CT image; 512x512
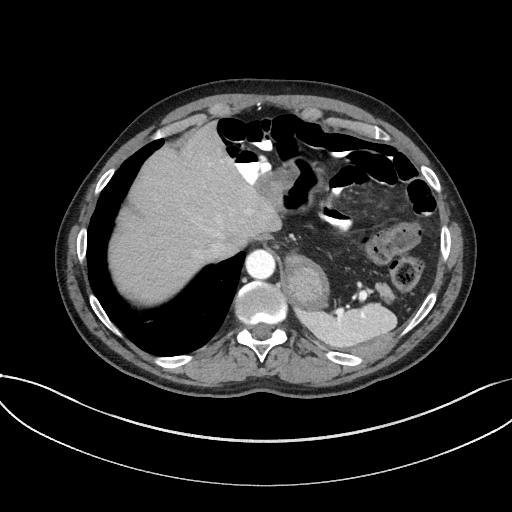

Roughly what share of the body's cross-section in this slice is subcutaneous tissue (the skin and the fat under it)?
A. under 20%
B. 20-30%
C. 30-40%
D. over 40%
Answer: A. under 20%
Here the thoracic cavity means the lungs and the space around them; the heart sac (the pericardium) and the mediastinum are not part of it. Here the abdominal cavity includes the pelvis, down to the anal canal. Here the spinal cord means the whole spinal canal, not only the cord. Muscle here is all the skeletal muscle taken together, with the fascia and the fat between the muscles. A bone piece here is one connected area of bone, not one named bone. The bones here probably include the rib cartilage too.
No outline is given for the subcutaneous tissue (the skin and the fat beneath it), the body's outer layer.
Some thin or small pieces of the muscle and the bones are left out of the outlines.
{"muscle":[{"outer":[[314,388],[320,388],[321,386],[329,386],[351,381],[355,378],[371,373],[390,364],[410,351],[444,318],[458,295],[463,277],[463,262],[462,261],[463,257],[463,239],[461,234],[461,228],[459,223],[459,216],[457,207],[454,201],[449,196],[448,191],[446,189],[445,182],[439,172],[424,153],[405,134],[391,124],[379,118],[374,117],[367,111],[350,103],[347,103],[337,99],[328,97],[316,96],[315,95],[304,95],[303,94],[271,95],[270,94],[254,94],[253,93],[249,94],[245,94],[244,93],[224,93],[223,94],[216,94],[215,95],[206,96],[179,106],[169,112],[158,122],[152,124],[144,130],[139,132],[123,144],[109,158],[97,175],[95,180],[90,185],[84,198],[84,201],[81,205],[77,221],[72,226],[69,232],[67,241],[66,284],[70,298],[75,307],[75,309],[89,330],[112,350],[118,353],[126,360],[133,364],[160,377],[178,383],[196,385],[197,386],[213,387],[214,386],[222,386],[227,383],[244,382],[256,378],[268,378],[278,382],[282,382],[287,384],[304,385]],"holes":[[[163,367],[189,362],[193,358],[189,353],[208,342],[234,314],[243,326],[237,342],[249,346],[260,362],[274,345],[287,340],[280,325],[288,314],[307,338],[327,351],[328,359],[344,365],[359,364],[363,356],[407,333],[436,300],[437,292],[431,287],[439,256],[447,259],[451,243],[447,225],[439,221],[435,192],[441,186],[433,170],[425,165],[418,169],[377,125],[329,117],[328,121],[348,128],[335,128],[260,100],[237,113],[217,103],[208,109],[214,117],[207,119],[205,113],[198,113],[158,128],[149,143],[98,180],[94,190],[98,201],[88,227],[78,232],[77,255],[81,263],[87,260],[93,291],[88,299],[98,318],[119,337],[124,334],[153,354],[153,361]],[[313,117],[320,117],[322,115],[322,113],[321,112],[321,111],[320,111],[319,110],[318,110],[317,109],[315,109],[314,108],[309,108],[308,109],[305,109],[303,111],[303,112],[304,113],[305,113],[306,114],[306,115],[309,115],[310,116],[312,116]]]}],"thoracic_cavity":[[[166,356],[201,347],[232,317],[232,302],[245,254],[239,252],[207,266],[175,299],[154,310],[140,314],[116,294],[105,262],[107,241],[119,205],[142,162],[163,143],[159,139],[127,158],[100,193],[88,226],[86,259],[92,290],[111,320],[140,348]],[[358,356],[365,356],[366,355],[369,355],[370,354],[372,354],[373,353],[375,353],[379,351],[401,331],[399,332],[396,332],[386,339],[372,346],[361,347],[360,348],[357,348],[356,349],[354,349],[350,352],[344,352],[348,352],[349,353],[352,353]]],"spinal_cord":[[[259,339],[263,339],[264,338],[266,338],[270,335],[270,333],[272,329],[270,325],[266,323],[263,323],[262,322],[260,322],[252,326],[251,328],[251,332],[253,336]]],"mediastinum":[[[237,290],[245,283],[255,279],[267,281],[272,284],[276,285],[279,288],[281,288],[281,284],[282,283],[280,276],[280,268],[279,267],[278,258],[270,249],[260,241],[258,241],[250,245],[244,250],[246,256],[241,268],[240,277],[237,286]]],"torso":[[[221,398],[255,392],[316,398],[358,390],[422,360],[461,313],[476,266],[473,223],[436,155],[413,127],[380,99],[308,79],[242,77],[190,86],[160,99],[133,119],[71,199],[58,228],[54,267],[63,305],[82,339],[102,359],[130,376],[180,394]]],"abdominal_cavity":[[[343,352],[372,345],[401,330],[435,279],[440,255],[436,195],[408,155],[360,132],[331,127],[260,100],[164,138],[143,162],[114,220],[106,262],[117,294],[140,313],[157,308],[175,298],[207,265],[260,240],[279,258],[280,289],[298,328],[321,349]]],"bones":[{"outer":[[260,362],[263,361],[267,352],[274,345],[283,343],[288,338],[285,331],[280,325],[287,315],[287,303],[284,295],[276,286],[264,281],[255,280],[245,284],[237,291],[233,305],[234,314],[243,326],[238,332],[236,340],[238,343],[249,346],[256,353]],"hole":[[259,339],[263,339],[264,338],[266,338],[270,335],[270,333],[272,329],[270,325],[266,323],[263,323],[262,322],[260,322],[252,326],[251,328],[251,332],[253,336]]},[[386,142],[388,142],[391,138],[389,134],[377,125],[368,124],[363,122],[351,121],[350,120],[344,120],[333,117],[327,118],[328,121],[339,122],[341,123],[344,127],[347,127],[351,129],[360,131],[370,137],[373,137],[376,139],[379,139]],[[152,140],[158,139],[159,138],[163,138],[189,125],[191,125],[194,123],[199,123],[201,121],[203,121],[206,119],[207,115],[205,113],[198,113],[197,114],[194,114],[182,120],[176,121],[165,126],[160,127],[158,128],[151,136],[151,139]],[[400,336],[402,336],[407,333],[411,329],[412,329],[416,325],[417,325],[425,317],[425,316],[433,306],[436,300],[436,297],[437,296],[437,292],[436,291],[431,291],[426,296],[419,309],[416,312],[414,316],[410,320],[408,324],[399,334]],[[119,337],[123,337],[123,334],[110,320],[110,319],[102,308],[101,305],[99,303],[98,300],[93,294],[93,293],[90,293],[88,295],[88,299],[89,300],[89,303],[92,309],[94,311],[94,312],[96,314],[98,318],[113,333],[114,333]],[[163,367],[177,367],[178,366],[183,365],[184,364],[189,362],[193,358],[193,356],[191,354],[183,354],[182,355],[178,355],[177,356],[171,356],[170,357],[166,357],[165,356],[155,356],[153,358],[153,361],[156,364],[157,364],[160,366],[162,366]],[[344,365],[356,365],[357,364],[359,364],[363,361],[363,359],[362,357],[358,357],[352,354],[349,354],[348,353],[343,353],[342,352],[338,352],[337,351],[327,351],[325,353],[325,356],[331,361],[333,361],[336,363],[343,364]],[[444,261],[445,261],[448,257],[448,255],[449,254],[449,249],[450,248],[450,244],[451,243],[451,239],[450,238],[450,232],[449,231],[449,229],[446,224],[444,224],[441,226],[441,231],[440,232],[440,253],[441,254],[441,257]],[[81,263],[82,263],[85,260],[85,257],[86,256],[86,239],[87,238],[87,228],[86,227],[85,227],[84,226],[82,226],[80,228],[80,229],[79,230],[79,231],[78,232],[78,234],[77,235],[77,255],[78,256],[78,259],[79,260],[79,261]],[[437,192],[440,192],[441,191],[441,186],[440,185],[440,183],[439,182],[439,180],[437,176],[435,174],[435,173],[432,169],[431,169],[429,167],[425,165],[421,165],[420,166],[420,171],[421,173],[423,175],[427,183]],[[97,195],[98,195],[99,194],[99,193],[108,182],[108,181],[110,179],[110,178],[113,175],[114,172],[116,170],[116,169],[114,167],[111,167],[109,169],[108,169],[100,177],[100,178],[98,180],[98,181],[96,184],[95,189],[94,190],[94,193]],[[213,115],[223,115],[224,114],[228,114],[229,113],[231,113],[230,112],[230,111],[229,110],[229,107],[227,105],[224,105],[223,104],[221,104],[220,103],[217,103],[216,104],[214,104],[213,105],[212,105],[208,109],[208,113],[209,114],[212,114]]]}